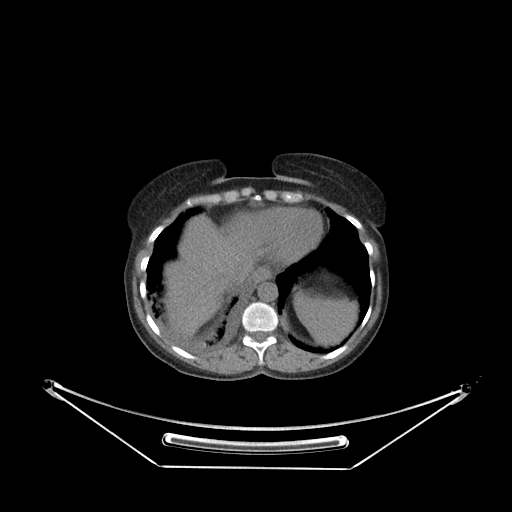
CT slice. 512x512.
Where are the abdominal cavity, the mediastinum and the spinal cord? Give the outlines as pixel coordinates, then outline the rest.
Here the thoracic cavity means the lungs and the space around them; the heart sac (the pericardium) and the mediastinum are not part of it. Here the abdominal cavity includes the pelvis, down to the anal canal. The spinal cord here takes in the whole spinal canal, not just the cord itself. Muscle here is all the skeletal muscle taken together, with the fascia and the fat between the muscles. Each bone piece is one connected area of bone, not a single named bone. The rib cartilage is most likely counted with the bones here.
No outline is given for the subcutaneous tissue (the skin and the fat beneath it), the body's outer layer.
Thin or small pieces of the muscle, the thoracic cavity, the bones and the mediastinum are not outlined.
{"abdominal_cavity":[[[200,208],[222,228],[247,240],[264,263],[255,269],[238,286],[228,292],[223,303],[215,314],[200,327],[193,339],[193,343],[191,343],[182,341],[169,330],[164,317],[161,294],[161,270],[163,262],[176,254],[176,242],[182,225],[192,214],[200,211]],[[320,265],[340,272],[347,280],[351,282],[359,300],[359,315],[357,321],[357,328],[351,335],[339,344],[329,348],[314,347],[296,339],[291,335],[288,335],[286,330],[282,327],[279,319],[279,315],[284,307],[286,298],[296,279],[302,274],[313,270]]],"mediastinum":[[[265,263],[267,264],[268,266],[269,266],[274,273],[277,274],[275,277],[275,281],[278,288],[277,311],[273,306],[266,302],[264,302],[260,300],[250,302],[252,300],[255,294],[255,286],[249,279],[246,279],[255,270],[256,270],[260,266],[262,266]],[[245,199],[249,199],[251,200],[250,202],[238,213],[224,223],[222,223],[221,224],[217,223],[214,220],[210,218],[206,214],[202,207],[199,207],[198,206],[192,207],[200,204],[218,204],[219,203],[222,203],[223,204],[230,204],[231,203],[234,203]],[[303,200],[315,200],[316,201],[317,201],[318,202],[327,206],[325,209],[325,210],[326,211],[326,213],[325,212],[322,211],[322,210],[321,209],[320,209],[315,205],[314,205],[311,203],[306,202],[305,201],[304,201],[301,203],[294,203],[299,203]]],"spinal_cord":[[[257,331],[262,331],[263,332],[266,332],[267,333],[268,333],[268,335],[266,337],[266,338],[264,340],[263,340],[262,341],[257,341],[256,340],[255,340],[252,337],[252,336],[251,335],[251,334],[252,333],[253,333],[254,332],[256,332]]],"pericardium":[[[251,201],[262,201],[267,203],[283,202],[286,204],[301,204],[305,202],[311,204],[326,214],[328,220],[328,231],[315,249],[297,262],[276,273],[267,263],[262,260],[258,252],[254,249],[252,244],[247,239],[233,231],[229,231],[221,225],[238,214]]],"bones":[{"outer":[[257,301],[270,305],[278,313],[278,326],[273,333],[277,341],[269,345],[265,349],[263,353],[264,363],[261,365],[258,364],[259,357],[257,352],[252,347],[244,345],[242,342],[242,338],[245,333],[241,322],[242,313],[244,309],[250,303]],"hole":[[257,331],[262,331],[263,332],[266,332],[267,333],[268,333],[268,335],[266,337],[266,338],[264,340],[263,340],[262,341],[257,341],[256,340],[255,340],[252,337],[252,336],[251,335],[251,334],[252,333],[253,333],[254,332],[256,332]]},[[244,188],[249,188],[251,190],[251,194],[249,196],[241,196],[237,201],[234,202],[230,203],[225,203],[223,201],[218,203],[204,202],[187,208],[184,206],[184,201],[190,196],[194,196],[195,195],[210,195],[211,194],[222,195],[229,190],[240,191]],[[267,190],[273,190],[277,193],[280,193],[285,190],[290,192],[301,192],[303,198],[301,201],[293,203],[285,202],[280,198],[278,198],[276,200],[269,200],[265,198],[263,198],[261,200],[252,200],[251,197],[253,195],[259,194],[263,196],[264,193]],[[345,343],[346,343],[347,345],[347,347],[341,353],[338,354],[335,357],[333,357],[332,358],[329,358],[328,359],[323,359],[319,357],[320,355],[322,354],[326,354],[338,348],[340,346],[343,345]],[[172,345],[175,345],[176,346],[178,346],[180,348],[181,348],[182,349],[189,352],[191,354],[193,354],[194,355],[195,355],[197,357],[197,358],[196,359],[191,359],[190,358],[187,358],[186,357],[184,357],[183,356],[178,354],[171,348],[171,346]],[[159,225],[164,225],[165,226],[165,227],[161,231],[161,232],[157,236],[157,237],[154,240],[154,241],[153,242],[153,243],[151,243],[150,242],[148,242],[148,237],[149,236],[149,235],[151,233],[151,232],[157,226],[158,226]],[[147,313],[149,313],[151,315],[153,320],[155,322],[157,327],[159,329],[159,330],[161,333],[161,335],[160,336],[157,335],[153,331],[153,330],[150,327],[150,326],[148,324],[148,323],[147,322],[147,320],[146,319],[146,314]],[[345,214],[349,214],[350,215],[351,215],[352,216],[353,216],[354,217],[355,217],[362,224],[362,229],[360,229],[359,230],[352,223],[351,223],[347,219],[346,219],[343,216],[343,215],[344,215]],[[370,304],[372,307],[371,308],[371,312],[370,313],[370,315],[369,316],[366,323],[364,325],[364,326],[362,328],[359,329],[359,326],[360,325],[363,318],[365,316],[365,315],[366,314],[366,312],[368,309],[368,307]],[[146,255],[149,255],[150,256],[149,257],[149,259],[148,260],[148,262],[147,263],[147,266],[146,267],[146,269],[145,270],[145,271],[142,271],[141,270],[141,269],[140,268],[140,263],[141,262],[141,260],[142,259],[142,258],[144,256],[145,256]],[[365,241],[368,241],[369,242],[370,242],[370,243],[372,246],[372,249],[373,250],[373,252],[372,253],[372,254],[369,256],[369,255],[368,254],[368,252],[367,251],[367,250],[366,249],[366,248],[365,247],[365,246],[363,244],[363,242],[364,242]]],"muscle":[[[182,201],[185,208],[168,225],[159,224],[148,235],[147,242],[152,244],[152,251],[140,260],[139,268],[146,273],[146,279],[141,279],[138,284],[140,297],[143,300],[147,298],[150,312],[145,314],[147,324],[157,336],[160,337],[162,334],[168,339],[173,344],[170,348],[178,355],[196,360],[198,357],[194,354],[211,352],[227,346],[242,327],[244,333],[241,342],[256,352],[257,364],[261,366],[265,363],[266,349],[278,341],[274,333],[279,323],[289,340],[298,348],[321,354],[318,357],[323,360],[341,354],[348,347],[346,342],[349,338],[358,328],[360,330],[365,326],[371,315],[371,291],[376,283],[375,272],[369,265],[369,257],[374,252],[373,246],[368,240],[361,241],[358,230],[363,229],[363,224],[356,217],[365,225],[377,243],[380,253],[378,266],[382,280],[382,301],[374,324],[354,349],[344,357],[322,368],[309,371],[289,373],[266,366],[255,366],[240,373],[220,374],[202,370],[174,357],[149,335],[136,314],[132,295],[132,271],[135,256],[144,238],[162,217]],[[296,189],[307,190],[308,191],[313,191],[314,192],[320,192],[328,199],[345,207],[355,216],[349,213],[345,213],[341,215],[331,207],[315,199],[303,199],[304,197],[303,196],[303,193],[301,191],[290,191],[289,190],[286,190],[295,190]],[[247,186],[251,186],[252,187],[255,188],[257,190],[265,190],[266,189],[272,189],[267,189],[263,193],[263,195],[262,195],[259,193],[255,193],[254,194],[253,194],[250,197],[250,199],[249,198],[245,198],[244,199],[241,199],[240,200],[239,200],[241,197],[249,197],[252,194],[252,190],[249,187],[244,187],[240,190],[238,190],[237,189],[232,189],[235,189],[236,188],[241,188],[242,187],[246,187]]],"thoracic_cavity":[[[195,207],[200,210],[181,225],[175,254],[161,264],[160,294],[168,330],[182,342],[193,344],[201,327],[216,314],[231,290],[245,280],[254,286],[233,339],[223,347],[199,353],[191,353],[163,335],[148,306],[146,282],[155,240],[181,211]],[[327,207],[342,216],[357,229],[359,239],[368,255],[371,290],[369,304],[358,327],[360,300],[354,285],[340,271],[323,264],[317,265],[297,276],[285,298],[280,313],[278,312],[279,288],[276,277],[315,250],[323,241],[330,230],[330,217],[326,210]],[[289,336],[291,336],[296,340],[308,346],[311,346],[314,348],[321,348],[322,349],[329,349],[332,347],[337,346],[346,339],[348,338],[348,339],[343,344],[326,353],[316,353],[315,352],[311,352],[310,351],[308,351],[298,347],[290,340]]],"torso":[[[292,151],[345,161],[371,177],[385,195],[387,220],[379,230],[387,248],[390,291],[377,334],[350,365],[318,378],[259,374],[220,381],[177,371],[145,347],[129,319],[123,267],[130,199],[151,178],[180,163],[221,158],[229,177],[269,177],[273,157]]]}